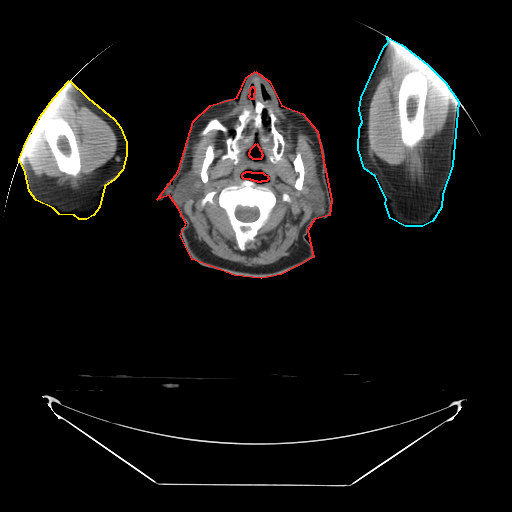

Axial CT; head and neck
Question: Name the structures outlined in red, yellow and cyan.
Answer: red: head and neck; yellow: right arm; cyan: left arm.
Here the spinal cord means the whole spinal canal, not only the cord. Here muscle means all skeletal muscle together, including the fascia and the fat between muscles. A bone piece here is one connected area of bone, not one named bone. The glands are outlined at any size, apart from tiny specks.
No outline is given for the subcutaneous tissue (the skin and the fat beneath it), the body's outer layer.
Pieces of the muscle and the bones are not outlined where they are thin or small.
head and neck: [[255,71],[269,81],[281,105],[302,113],[317,131],[331,200],[329,215],[314,219],[307,230],[313,257],[281,274],[261,278],[234,275],[192,259],[180,235],[186,223],[178,208],[169,195],[157,199],[178,171],[193,121],[210,105],[237,97],[246,77]] with holes at [[246,171],[250,171],[251,172],[262,172],[264,174],[267,175],[267,176],[268,177],[268,179],[266,181],[261,181],[260,182],[258,182],[257,181],[254,181],[253,180],[251,180],[250,179],[244,179],[242,177],[242,174],[244,172],[245,172]] and at [[256,143],[257,144],[257,145],[259,147],[259,149],[260,150],[261,150],[261,153],[262,154],[262,156],[261,157],[261,158],[260,159],[253,159],[251,157],[250,157],[250,156],[249,155],[249,152],[250,151],[250,149]] and at [[252,86],[253,86],[253,87],[254,88],[254,93],[253,94],[253,99],[251,99],[249,97],[249,95],[250,94],[250,89],[251,88],[251,87]]
right arm: [[69,80],[87,97],[114,119],[120,127],[126,142],[126,155],[122,170],[114,179],[104,186],[99,207],[93,215],[86,219],[79,219],[74,215],[59,214],[53,208],[36,200],[29,191],[25,172],[19,159],[26,141],[40,116],[53,98]]
left arm: [[387,37],[401,44],[427,64],[445,82],[458,101],[452,165],[442,194],[441,207],[432,221],[422,226],[405,226],[390,218],[385,203],[386,199],[380,186],[375,176],[364,168],[358,149],[359,127],[362,122],[359,109],[361,97],[384,46],[388,42]]
muscle 1: [[242,100],[253,108],[244,107],[237,116],[238,123],[225,139],[223,160],[239,162],[242,140],[253,160],[268,151],[266,157],[273,164],[283,159],[285,139],[276,127],[277,117],[264,102],[298,121],[318,156],[318,180],[310,180],[305,189],[313,214],[299,233],[297,251],[276,265],[255,268],[225,263],[203,251],[182,205],[208,181],[208,168],[215,158],[214,147],[208,144],[200,171],[188,170],[200,126],[212,112]]; inner edges: [[246,171],[262,172],[267,175],[268,179],[266,181],[256,181],[255,183],[269,188],[275,195],[276,203],[268,219],[257,231],[254,239],[247,242],[245,248],[241,250],[226,212],[218,203],[218,194],[227,186],[239,185],[244,179],[242,174]], then [[297,153],[300,153],[301,159],[303,163],[303,168],[304,169],[304,176],[303,177],[303,185],[302,186],[302,188],[300,190],[296,189],[294,186],[295,184],[295,181],[299,175],[299,174],[295,170],[294,168],[294,165],[293,164],[293,161],[296,157]], then [[213,118],[216,118],[218,119],[218,120],[224,126],[226,127],[227,129],[227,131],[226,132],[224,132],[221,130],[218,130],[217,129],[212,129],[210,130],[205,135],[203,135],[201,134],[201,132],[202,130],[205,127],[207,123],[211,119]], then [[211,191],[216,191],[216,192],[217,193],[216,194],[215,194],[213,197],[213,200],[214,201],[214,203],[213,204],[211,204],[210,203],[207,202],[204,205],[203,205],[202,204],[202,202],[201,201],[202,200],[202,199],[208,192],[210,192]], then [[283,193],[286,193],[290,197],[290,202],[287,202],[286,201],[283,201],[282,200],[282,194]]
muscle 2: [[395,41],[401,44],[427,64],[445,82],[450,89],[449,111],[445,127],[433,152],[430,171],[427,180],[425,184],[420,186],[416,186],[405,181],[387,168],[373,154],[370,150],[368,143],[367,129],[368,107],[370,97],[374,91],[378,79],[386,66]] with a hole at [[410,70],[418,70],[424,73],[427,76],[429,82],[429,91],[426,96],[424,114],[423,115],[424,133],[422,139],[413,147],[408,147],[402,142],[400,124],[399,123],[399,115],[398,114],[398,92],[400,84],[402,81],[403,76]]
muscle 3: [[63,87],[70,95],[90,108],[97,115],[101,117],[112,128],[117,139],[117,149],[110,163],[92,181],[79,190],[64,190],[53,187],[41,181],[33,174],[33,172],[30,168],[30,166],[23,153],[23,148],[26,143],[26,141],[40,116],[53,98]]; inner edge: [[54,117],[65,118],[75,135],[78,147],[78,151],[79,152],[79,157],[80,158],[80,170],[79,173],[76,176],[72,176],[69,174],[67,174],[61,171],[58,168],[56,160],[52,154],[51,149],[44,138],[44,133],[43,132],[44,122],[46,119]]
spinal cord: [[239,205],[240,206],[243,206],[244,207],[256,207],[258,209],[258,212],[259,213],[258,214],[258,216],[257,217],[257,218],[255,220],[254,220],[253,221],[242,221],[241,220],[238,219],[236,217],[236,216],[235,215],[235,211],[236,210],[236,207]]
bones 1: [[256,98],[276,117],[275,127],[284,139],[282,159],[273,163],[267,157],[269,150],[262,151],[256,142],[249,148],[244,139],[239,141],[241,150],[236,164],[231,158],[223,159],[221,157],[227,152],[226,139],[239,123],[238,116],[244,108],[252,110]]
bones 2: [[243,180],[250,180],[255,182],[257,185],[269,188],[275,195],[276,203],[268,219],[257,231],[254,239],[252,241],[247,242],[245,245],[245,248],[241,250],[237,244],[235,232],[229,221],[226,212],[218,203],[218,194],[223,188],[230,185],[239,185]]; inner edge: [[239,205],[240,206],[243,206],[244,207],[256,207],[258,209],[258,212],[259,213],[258,214],[258,216],[257,217],[257,218],[255,220],[254,220],[253,221],[242,221],[241,220],[238,219],[236,217],[236,216],[235,215],[235,211],[236,210],[236,207]]
bones 3: [[410,70],[418,70],[424,73],[427,76],[429,82],[429,91],[426,96],[424,114],[423,115],[424,133],[422,139],[413,147],[408,147],[402,142],[400,124],[399,123],[399,115],[398,114],[398,92],[400,84],[402,81],[403,76]]
bones 4: [[54,117],[65,118],[75,135],[78,147],[78,151],[79,152],[79,157],[80,158],[80,170],[79,173],[76,176],[72,176],[69,174],[67,174],[61,171],[58,168],[56,160],[52,154],[51,149],[44,138],[44,133],[43,132],[44,122],[46,119]]
bones 5: [[208,145],[211,145],[213,147],[213,154],[214,155],[214,158],[212,162],[207,168],[207,176],[208,177],[208,179],[205,183],[203,182],[201,179],[201,177],[200,176],[200,172],[201,171],[201,168],[202,167],[203,160],[205,157],[205,152]]
bones 6: [[297,153],[300,153],[301,159],[303,163],[303,168],[304,169],[304,176],[303,177],[303,185],[302,186],[302,188],[300,190],[296,189],[294,186],[295,184],[295,181],[299,175],[299,174],[295,170],[294,168],[294,165],[293,164],[293,161],[296,157]]
bones 7: [[213,118],[216,118],[218,119],[218,120],[224,126],[226,127],[227,129],[227,131],[226,132],[224,132],[221,130],[218,130],[217,129],[212,129],[210,130],[205,135],[203,135],[201,134],[201,132],[202,130],[205,127],[207,123],[211,119]]
bones 8: [[211,191],[216,191],[216,192],[217,193],[216,194],[215,194],[213,197],[213,200],[214,201],[214,203],[213,204],[211,204],[210,203],[207,202],[204,205],[203,205],[202,204],[202,202],[201,201],[202,200],[202,199],[208,192],[210,192]]
parotid glands 1: [[192,169],[194,169],[198,171],[199,173],[199,176],[200,177],[200,179],[202,183],[200,185],[198,190],[190,198],[187,199],[182,203],[179,203],[174,197],[173,190],[176,184],[179,181],[182,174],[183,174],[184,172],[189,171]]
parotid glands 2: [[314,179],[317,180],[319,182],[321,186],[321,188],[323,191],[324,198],[325,199],[325,207],[324,208],[324,211],[322,213],[320,213],[319,214],[315,214],[313,213],[309,205],[309,203],[307,200],[307,197],[306,196],[306,189],[307,188],[308,183]]